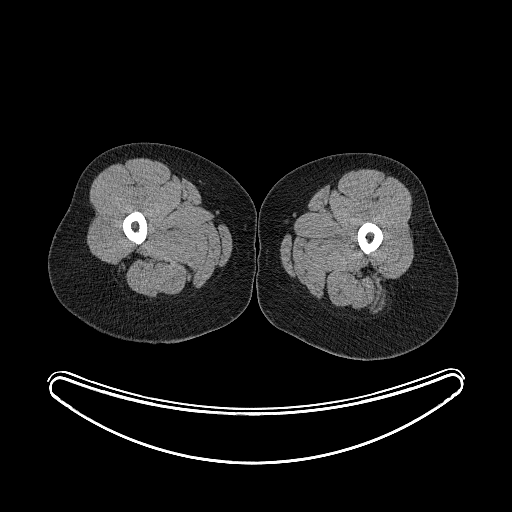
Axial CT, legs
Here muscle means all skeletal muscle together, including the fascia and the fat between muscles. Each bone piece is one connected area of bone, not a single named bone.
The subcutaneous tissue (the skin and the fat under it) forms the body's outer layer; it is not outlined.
Outlines:
left leg: 346,152 385,155 403,163 415,173 426,191 433,217 457,269 457,298 443,327 425,344 393,358 358,360 323,351 274,326 261,311 257,300 257,212 268,191 280,178 296,167 327,155
muscle 1: 135,157 158,160 192,182 199,191 207,209 221,220 231,233 232,252 224,266 224,270 193,296 179,301 146,302 138,300 118,285 106,264 96,258 88,248 86,235 91,221 89,190 93,179 109,165 122,159 with a hole at 135,210 141,212 145,217 146,221 147,222 147,234 146,235 146,237 145,239 141,243 139,244 137,244 133,241 130,240 125,235 123,231 123,229 122,228 122,222 123,221 123,219 128,214 129,214 131,212
muscle 2: 360,168 377,169 386,175 395,177 404,184 412,197 414,258 410,267 401,276 395,287 395,299 390,310 383,318 376,321 366,321 334,314 306,297 284,270 279,252 284,234 292,227 296,216 313,194 344,173; inner edge: 367,221 369,221 370,222 372,222 376,224 381,229 382,233 383,234 383,238 379,246 375,250 372,251 369,254 366,254 364,253 364,252 360,248 358,244 358,242 357,241 357,231 359,227 364,222 366,222
bones 1: 135,210 141,212 145,217 146,221 147,222 147,234 146,235 146,237 145,239 141,243 139,244 137,244 133,241 130,240 125,235 123,231 123,229 122,228 122,222 123,221 123,219 128,214 129,214 131,212
bones 2: 367,221 369,221 370,222 372,222 376,224 381,229 382,233 383,234 383,238 379,246 375,250 372,251 369,254 366,254 364,253 364,252 360,248 358,244 358,242 357,241 357,231 359,227 364,222 366,222
right leg: 131,142 169,144 207,158 225,169 240,183 251,197 256,209 254,288 248,305 226,325 185,341 154,345 123,341 102,334 70,313 58,301 49,281 47,258 50,244 54,232 70,204 80,174 88,163 103,151